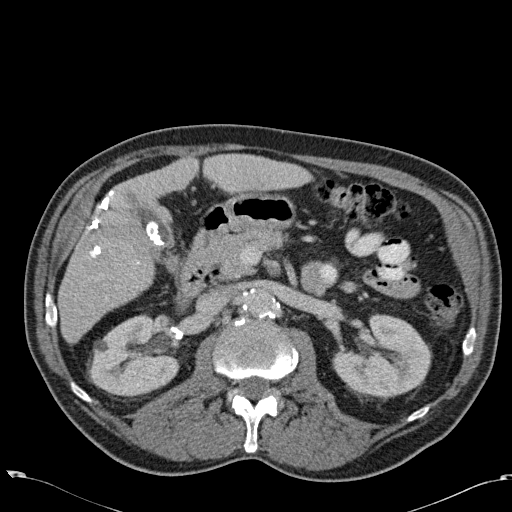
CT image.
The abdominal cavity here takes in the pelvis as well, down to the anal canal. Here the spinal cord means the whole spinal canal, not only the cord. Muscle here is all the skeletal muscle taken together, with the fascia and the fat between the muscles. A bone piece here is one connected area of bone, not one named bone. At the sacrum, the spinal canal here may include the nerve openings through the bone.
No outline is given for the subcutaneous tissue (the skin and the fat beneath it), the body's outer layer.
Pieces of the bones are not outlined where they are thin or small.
Outlined structures:
torso: 205 123; 267 126; 395 148; 447 169; 475 193; 491 221; 500 254; 500 329; 488 378; 444 438; 397 467; 351 481; 300 479; 256 459; 163 476; 112 459; 66 417; 30 354; 24 331; 24 272; 39 219; 59 184; 93 155; 144 132
bones 1: 243 316; 280 326; 298 352; 295 369; 275 383; 284 405; 275 416; 265 414; 261 418; 257 427; 258 446; 253 453; 246 452; 243 446; 247 430; 244 419; 234 412; 231 403; 226 400; 233 382; 214 370; 212 357; 221 331, around a hole outlined by 252 376; 257 376; 258 377; 260 377; 261 378; 269 380; 271 382; 270 387; 268 389; 268 394; 265 396; 263 396; 256 401; 252 401; 250 399; 243 395; 240 392; 240 390; 238 386; 238 381; 239 380; 241 380; 245 378; 248 378
bones 2: 47 291; 48 291; 53 296; 53 299; 54 300; 54 303; 55 304; 55 306; 56 307; 56 309; 57 310; 57 322; 56 323; 56 325; 55 326; 55 327; 51 327; 50 326; 49 326; 48 325; 47 325; 47 324; 45 321; 45 294
bones 3: 471 326; 473 326; 475 328; 475 331; 476 332; 476 337; 475 338; 475 340; 474 341; 474 343; 473 344; 473 350; 472 351; 472 352; 469 355; 464 356; 462 353; 462 342; 464 339; 464 337; 465 336; 465 335; 466 334; 468 329
bones 4: 71 380; 73 380; 82 389; 83 389; 91 397; 91 398; 92 399; 92 402; 89 403; 88 402; 86 402; 85 401; 84 401; 82 399; 81 399; 79 397; 78 397; 71 390; 71 389; 70 388; 70 384; 69 383; 69 382
bones 5: 426 404; 428 404; 430 407; 429 408; 429 410; 423 416; 422 416; 417 419; 415 419; 412 421; 410 421; 409 422; 407 422; 406 421; 406 418; 412 412; 413 412; 414 411; 415 411; 416 410; 419 409; 421 407; 424 406
muscle: 210 143; 263 146; 391 167; 457 195; 476 213; 492 265; 483 351; 468 382; 427 423; 329 469; 295 467; 256 452; 262 418; 275 417; 285 405; 276 383; 299 362; 285 329; 296 328; 310 337; 317 379; 339 408; 376 424; 423 417; 429 403; 452 383; 463 356; 473 352; 477 337; 444 222; 431 201; 371 176; 334 170; 257 149; 222 149; 158 155; 112 174; 93 198; 57 273; 53 295; 48 290; 44 294; 44 321; 56 329; 72 378; 70 390; 120 416; 188 378; 202 340; 220 332; 211 352; 213 370; 232 382; 225 400; 245 423; 244 451; 208 460; 167 459; 126 443; 74 402; 46 363; 36 336; 34 274; 52 215; 80 178; 122 155; 159 145
spinal cord: 252 376; 257 376; 258 377; 260 377; 261 378; 269 380; 271 382; 270 387; 268 389; 268 394; 265 396; 263 396; 256 401; 252 401; 250 399; 243 395; 240 392; 240 390; 238 386; 238 381; 239 380; 241 380; 245 378; 248 378
abdominal cavity: 222 150; 266 151; 371 177; 435 206; 471 314; 460 367; 443 393; 391 423; 360 419; 343 411; 318 379; 316 352; 306 331; 244 315; 201 340; 188 377; 133 412; 113 413; 73 379; 58 344; 54 292; 100 188; 112 175; 147 158